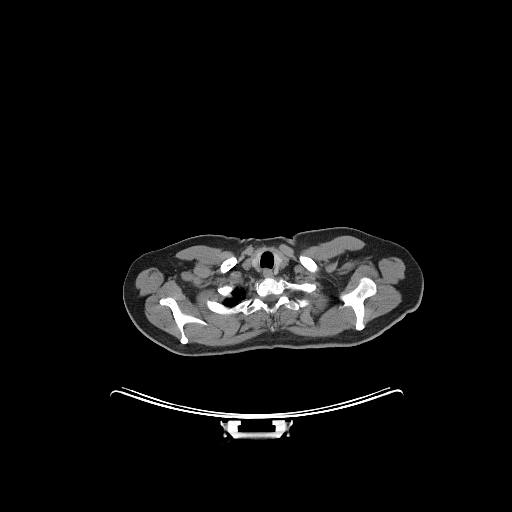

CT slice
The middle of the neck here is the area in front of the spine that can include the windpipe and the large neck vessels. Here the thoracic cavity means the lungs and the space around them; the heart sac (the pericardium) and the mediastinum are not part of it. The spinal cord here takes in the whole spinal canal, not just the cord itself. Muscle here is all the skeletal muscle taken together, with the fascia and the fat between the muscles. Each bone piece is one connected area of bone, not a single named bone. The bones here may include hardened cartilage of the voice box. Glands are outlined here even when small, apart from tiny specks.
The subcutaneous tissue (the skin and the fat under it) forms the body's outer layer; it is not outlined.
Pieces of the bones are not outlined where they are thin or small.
thoracic cavity: 238,285 243,285 246,288 246,298 244,300 241,301 239,303 238,303 236,305 235,305 234,306 226,306 225,305 222,304 221,303 221,302 224,299 225,299 226,298 231,298 232,297 232,292 233,291 233,290
bones 1: 266,277 297,284 313,283 315,289 310,292 287,291 291,298 309,300 308,305 297,310 281,305 273,314 261,308 246,315 242,312 220,314 207,307 207,300 220,302 226,307 236,306 254,293 251,287 255,282, around a hole outlined by 270,294 272,294 273,295 277,295 278,296 278,297 277,298 277,299 276,300 276,301 271,306 270,306 267,303 266,303 263,300 263,298 264,297 265,297 266,296 267,296 268,295 269,295
bones 2: 362,277 368,277 374,281 376,284 376,292 375,294 367,297 364,300 363,322 365,327 361,330 356,330 355,313 350,306 341,307 343,304 343,301 340,298 340,296 343,293 347,293 354,289 359,283 360,278
bones 3: 164,297 172,297 176,301 179,308 183,313 199,318 203,320 207,324 204,325 197,322 188,322 186,323 183,326 183,330 188,342 185,344 180,342 181,333 176,324 171,309 166,305 160,304 159,302 159,300
bones 4: 300,255 304,255 305,256 307,256 308,257 309,257 310,258 311,258 315,262 315,263 317,265 317,270 316,270 315,271 314,271 313,272 312,271 310,271 308,269 307,269 300,262 300,261 299,260 299,256
bones 5: 231,256 234,256 236,258 236,260 237,261 236,262 236,263 232,267 231,267 226,272 224,272 223,273 221,271 221,270 220,269 220,267 221,266 221,264 226,259 227,259 228,258 229,258
bones 6: 225,285 228,285 229,286 233,286 234,287 234,288 232,290 232,291 231,292 231,297 224,297 221,294 220,294 218,292 218,291 217,290 217,289 218,288 218,287 221,287 222,286 224,286
left arm: 394,242 396,242 405,247 410,252 412,256 416,260 420,266 422,270 423,277 424,278 423,294 418,294 417,293 414,293 413,292 408,291 403,288 397,282 393,274 393,272 390,265 390,253 391,252 392,245
spinal cord: 270,294 272,294 273,295 277,295 278,296 278,297 277,298 277,299 276,300 276,301 271,306 270,306 267,303 266,303 263,300 263,298 264,297 265,297 266,296 267,296 268,295 269,295
middle of the neck: 264,248 270,248 273,253 275,259 276,273 283,267 286,258 289,259 289,267 282,275 278,275 275,277 266,276 262,279 256,279 249,275 242,268 242,262 248,257 251,267 257,271 259,269 259,257
muscle: 341,235 365,242 362,255 400,258 405,277 399,285 401,302 366,325 364,302 376,294 377,284 360,277 339,296 340,307 354,313 354,329 333,336 284,330 232,345 188,343 184,326 206,326 203,319 183,312 172,296 161,297 158,302 170,309 179,340 148,321 134,291 137,275 149,267 174,276 179,260 173,256 193,245 234,252 249,244 300,249, around holes outlined by 264,248 289,259 288,269 276,279 315,285 310,292 287,291 309,304 297,310 281,305 273,314 261,308 246,315 210,310 207,300 226,298 218,287 243,285 247,298 254,293 251,287 262,280 249,275 242,262 and by 300,255 304,255 305,256 307,256 308,257 309,257 310,258 311,258 315,262 315,263 317,265 317,270 316,270 315,271 314,271 313,272 312,271 310,271 308,269 307,269 300,262 300,261 299,260 299,256 and by 231,256 234,256 236,258 236,260 237,261 236,262 236,263 232,267 231,267 226,272 224,272 223,273 221,271 221,270 220,269 220,267 221,266 221,264 226,259 227,259 228,258 229,258
torso: 335,226 356,228 393,241 389,265 396,282 406,291 422,295 414,311 367,342 350,347 276,347 222,355 183,356 146,337 134,325 124,306 122,286 127,271 137,257 148,251 200,234 241,238 290,237 300,231
thyroid glands 1: 272,249 275,249 276,250 279,251 282,254 283,254 283,255 285,257 285,260 284,261 284,264 282,266 282,267 281,267 279,269 279,270 276,272 276,259 275,258 275,256 274,255 274,253 273,252
thyroid glands 2: 258,249 262,249 262,250 261,251 261,253 259,255 259,256 258,257 258,269 257,270 256,269 255,269 253,267 252,267 252,266 251,265 251,264 250,263 250,256 254,252 255,252 256,251 256,250 257,250